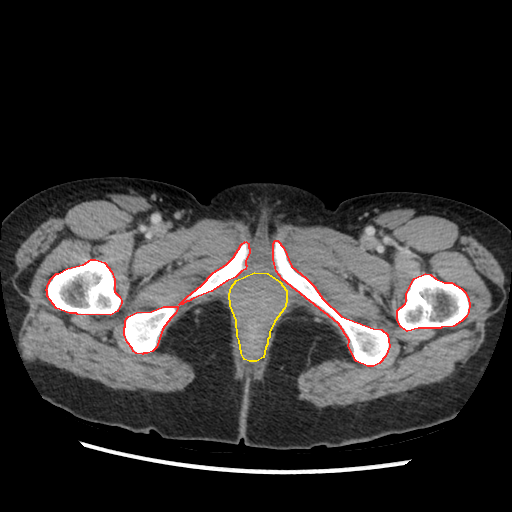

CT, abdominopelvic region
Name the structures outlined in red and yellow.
red: bones; yellow: abdominal cavity.
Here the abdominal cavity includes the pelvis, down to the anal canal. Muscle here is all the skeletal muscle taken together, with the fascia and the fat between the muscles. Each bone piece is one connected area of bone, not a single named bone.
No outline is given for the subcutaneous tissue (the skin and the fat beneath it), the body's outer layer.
{"bones":[[[91,259],[95,259],[104,262],[111,271],[114,279],[114,291],[119,296],[121,300],[121,303],[117,311],[110,315],[77,314],[76,313],[69,313],[56,308],[47,296],[47,291],[46,290],[48,283],[51,278],[56,273],[58,273],[67,268],[83,264]],[[425,273],[430,274],[435,278],[444,282],[451,282],[461,288],[465,292],[468,299],[469,304],[468,312],[466,316],[461,321],[453,326],[441,327],[440,328],[418,328],[407,331],[401,327],[397,320],[397,310],[405,303],[406,301],[406,293],[414,278]],[[275,240],[277,240],[283,247],[291,266],[305,277],[314,286],[322,298],[341,316],[373,328],[381,329],[387,334],[389,346],[385,356],[379,363],[373,366],[367,366],[356,361],[348,346],[349,340],[338,323],[282,279],[276,271],[273,259],[273,243]],[[163,306],[177,306],[177,308],[175,313],[170,318],[162,329],[156,347],[152,351],[147,353],[143,353],[142,354],[136,353],[133,351],[132,348],[127,342],[124,334],[124,327],[125,326],[125,320],[126,318],[128,316],[136,312],[151,311]],[[245,241],[248,243],[248,247],[249,248],[249,252],[245,261],[245,264],[246,265],[245,269],[241,271],[235,277],[226,281],[211,291],[193,298],[188,301],[186,301],[182,304],[179,304],[187,296],[201,285],[213,272],[226,264],[233,257],[241,244]]],"abdominal_cavity":[[[254,272],[267,273],[279,281],[286,290],[286,301],[284,308],[274,321],[269,332],[269,337],[267,339],[267,344],[265,347],[263,357],[256,361],[249,361],[244,359],[241,353],[239,340],[237,336],[236,320],[230,305],[229,294],[231,287],[236,280]]],"muscle":[{"outer":[[106,190],[145,195],[190,226],[234,220],[268,235],[291,224],[352,237],[378,213],[430,209],[457,219],[491,252],[505,297],[486,320],[483,343],[457,372],[365,402],[317,408],[297,397],[302,371],[346,351],[340,336],[301,305],[275,329],[262,380],[236,378],[230,311],[218,299],[188,311],[162,339],[162,348],[193,365],[195,377],[184,390],[114,389],[26,359],[18,334],[27,304],[12,283],[17,249],[51,212]],"holes":[[[254,272],[267,273],[279,281],[286,290],[286,301],[284,308],[274,321],[269,332],[269,337],[267,339],[267,344],[265,347],[263,357],[256,361],[249,361],[244,359],[241,353],[239,340],[237,336],[236,320],[230,305],[229,294],[231,287],[236,280]],[[91,259],[95,259],[104,262],[111,271],[114,279],[114,291],[119,296],[121,300],[121,303],[117,311],[110,315],[77,314],[76,313],[69,313],[56,308],[47,296],[47,291],[46,290],[48,283],[51,278],[56,273],[58,273],[67,268],[83,264]],[[425,273],[430,274],[435,278],[444,282],[451,282],[461,288],[465,292],[468,299],[469,304],[468,312],[466,316],[461,321],[453,326],[441,327],[440,328],[418,328],[407,331],[401,327],[397,320],[397,310],[405,303],[406,301],[406,293],[414,278]],[[275,240],[277,240],[283,247],[291,266],[305,277],[314,286],[322,298],[341,316],[373,328],[381,329],[387,334],[389,346],[385,356],[379,363],[373,366],[367,366],[356,361],[348,346],[349,340],[338,323],[282,279],[276,271],[273,259],[273,243]],[[163,306],[177,306],[177,308],[175,313],[170,318],[162,329],[156,347],[152,351],[147,353],[143,353],[142,354],[136,353],[133,351],[132,348],[127,342],[124,334],[124,327],[125,326],[125,320],[126,318],[128,316],[136,312],[151,311]],[[245,241],[248,243],[248,247],[249,248],[249,252],[245,261],[245,264],[246,265],[245,269],[241,271],[235,277],[226,281],[211,291],[193,298],[188,301],[186,301],[182,304],[179,304],[187,296],[201,285],[213,272],[226,264],[233,257],[241,244]]]}],"torso":[[[102,176],[166,182],[202,203],[234,184],[279,182],[314,193],[330,208],[363,194],[408,191],[489,213],[510,230],[511,273],[502,325],[481,377],[450,420],[336,447],[167,439],[75,417],[42,397],[17,349],[3,297],[0,239],[4,217],[26,198]]]}